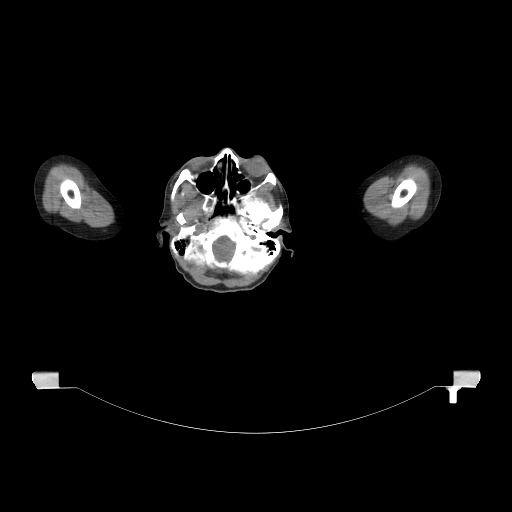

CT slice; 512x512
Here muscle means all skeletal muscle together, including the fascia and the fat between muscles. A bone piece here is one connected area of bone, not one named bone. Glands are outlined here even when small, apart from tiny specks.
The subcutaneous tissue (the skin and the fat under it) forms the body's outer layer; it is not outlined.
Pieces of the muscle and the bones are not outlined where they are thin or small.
Outlines (x, y in pixels):
right arm: (58, 153) (71, 154) (78, 157) (88, 164) (100, 181) (113, 194) (120, 203) (124, 212) (125, 219) (123, 227) (117, 235) (105, 240) (88, 241) (66, 233) (54, 226) (48, 225) (40, 218) (36, 208) (33, 194) (34, 176) (37, 168) (44, 159) (53, 154)
head: (227, 147) (242, 157) (259, 154) (271, 166) (288, 197) (292, 230) (269, 234) (281, 235) (294, 253) (291, 257) (284, 250) (276, 267) (256, 288) (220, 293) (197, 289) (185, 281) (170, 255) (168, 234) (163, 235) (159, 248) (156, 232) (171, 174) (194, 156) (216, 155); inner edges: (205, 172) (209, 172) (211, 174) (212, 174) (213, 176) (213, 181) (214, 182) (214, 187) (213, 189) (212, 189) (211, 191) (208, 193) (206, 193) (205, 192) (203, 192) (201, 191) (199, 189) (197, 185) (197, 180) (198, 178) (201, 174), then (235, 170) (235, 173) (237, 175) (241, 175) (242, 176) (241, 177) (242, 179) (243, 180) (246, 180) (249, 183) (249, 187) (247, 189) (247, 190) (243, 193) (241, 192) (238, 189) (237, 187) (237, 185) (239, 182) (239, 180) (237, 179) (235, 176) (236, 175) (235, 174), then (217, 204) (219, 204) (219, 205) (220, 206) (220, 207) (221, 208) (221, 209) (223, 211) (221, 213) (218, 213) (217, 214) (216, 214) (215, 213) (215, 209) (216, 208) (216, 206) (217, 205)
muscle 1: (61, 162) (68, 163) (77, 167) (82, 173) (88, 184) (92, 188) (96, 190) (111, 205) (114, 212) (114, 221) (111, 224) (105, 227) (93, 228) (83, 222) (78, 223) (74, 222) (57, 213) (49, 213) (44, 209) (42, 204) (42, 193) (45, 177) (48, 170) (53, 165) with a hole at (65, 178) (69, 178) (73, 180) (76, 183) (79, 189) (79, 191) (80, 192) (80, 196) (81, 197) (81, 205) (80, 207) (77, 209) (75, 208) (72, 208) (70, 206) (69, 206) (66, 203) (62, 195) (60, 193) (59, 186) (60, 185) (60, 183)
muscle 2: (409, 163) (417, 163) (425, 167) (429, 173) (431, 182) (431, 191) (428, 199) (428, 204) (424, 214) (419, 219) (412, 220) (407, 218) (401, 223) (393, 226) (390, 225) (385, 220) (377, 218) (369, 213) (364, 207) (363, 196) (369, 185) (374, 181) (383, 176) (395, 174), around a hole outlined by (409, 177) (410, 178) (412, 178) (416, 183) (416, 185) (417, 186) (416, 191) (411, 197) (411, 198) (402, 206) (400, 207) (398, 207) (397, 208) (394, 208) (392, 207) (391, 206) (391, 197) (396, 187) (401, 182) (401, 181) (403, 179) (405, 179)
muscle 3: (181, 254) (184, 260) (191, 262) (197, 266) (206, 266) (210, 269) (214, 268) (225, 269) (240, 275) (248, 274) (255, 275) (266, 266) (271, 264) (268, 269) (259, 278) (247, 285) (233, 287) (227, 287) (222, 284) (204, 285) (195, 281) (181, 267) (176, 257) (178, 257)
muscle 4: (185, 181) (202, 197) (200, 208) (209, 218) (206, 222) (208, 226) (204, 225) (196, 233) (200, 221) (195, 218) (192, 224) (186, 225) (187, 220) (181, 210) (174, 217) (179, 224) (179, 228) (177, 233) (172, 236) (169, 198) (171, 203) (174, 201) (179, 187)
muscle 5: (267, 183) (269, 183) (273, 186) (275, 186) (276, 185) (277, 186) (277, 188) (279, 190) (279, 194) (282, 202) (282, 203) (280, 201) (277, 204) (276, 207) (273, 209) (271, 208) (269, 203) (266, 200) (265, 200) (262, 197) (257, 195) (257, 191) (262, 186)
muscle 6: (283, 216) (283, 218) (284, 219) (284, 222) (285, 223) (285, 224) (283, 226) (282, 226) (281, 227) (279, 227) (278, 228) (277, 228) (278, 227) (278, 226) (280, 224) (280, 223) (281, 222) (281, 220) (282, 219) (282, 218) (283, 217)
brain: (221, 237) (226, 237) (229, 240) (230, 240) (234, 244) (234, 248) (233, 249) (233, 252) (232, 253) (232, 255) (231, 256) (231, 257) (228, 260) (220, 260) (219, 259) (218, 259) (216, 257) (216, 256) (213, 251) (213, 245) (214, 244) (214, 243) (219, 238) (220, 238)
left arm: (409, 153) (422, 153) (425, 154) (429, 156) (437, 164) (442, 177) (441, 195) (436, 209) (427, 222) (422, 226) (415, 229) (409, 235) (400, 240) (386, 241) (376, 237) (367, 229) (363, 220) (358, 215) (354, 207) (354, 195) (358, 186) (368, 176) (392, 160) (402, 155)
bones 1: (227, 147) (248, 181) (275, 174) (276, 184) (256, 195) (283, 207) (269, 234) (280, 236) (280, 251) (255, 274) (197, 265) (170, 248) (179, 212) (186, 226) (199, 221) (196, 234) (210, 219) (186, 180) (170, 201) (176, 179) (189, 168) (210, 193) (214, 176) (206, 171), around holes outlined by (221, 237) (226, 237) (229, 240) (230, 240) (234, 244) (234, 248) (233, 249) (233, 252) (232, 253) (232, 255) (231, 256) (231, 257) (228, 260) (220, 260) (219, 259) (218, 259) (216, 257) (216, 256) (213, 251) (213, 245) (214, 244) (214, 243) (219, 238) (220, 238) and by (235, 170) (235, 173) (237, 175) (241, 175) (242, 176) (241, 177) (242, 179) (243, 180) (246, 180) (249, 183) (249, 187) (247, 189) (247, 190) (243, 193) (241, 192) (238, 189) (237, 187) (237, 185) (239, 182) (239, 180) (237, 179) (235, 176) (236, 175) (235, 174) and by (217, 204) (219, 204) (219, 205) (220, 206) (220, 207) (221, 208) (221, 209) (223, 211) (221, 213) (218, 213) (217, 214) (216, 214) (215, 213) (215, 209) (216, 208) (216, 206) (217, 205)
bones 2: (409, 177) (410, 178) (412, 178) (416, 183) (416, 185) (417, 186) (416, 191) (411, 197) (411, 198) (402, 206) (400, 207) (398, 207) (397, 208) (394, 208) (392, 207) (391, 206) (391, 197) (396, 187) (401, 182) (401, 181) (403, 179) (405, 179)
bones 3: (65, 178) (69, 178) (73, 180) (76, 183) (79, 189) (79, 191) (80, 192) (80, 196) (81, 197) (81, 205) (80, 207) (77, 209) (75, 208) (72, 208) (70, 206) (69, 206) (66, 203) (62, 195) (60, 193) (59, 186) (60, 185) (60, 183)
parotid glands: (168, 220) (169, 220) (169, 221) (170, 222) (171, 223) (171, 224) (171, 225) (171, 226) (170, 225) (169, 224) (168, 223) (167, 222) (168, 221)